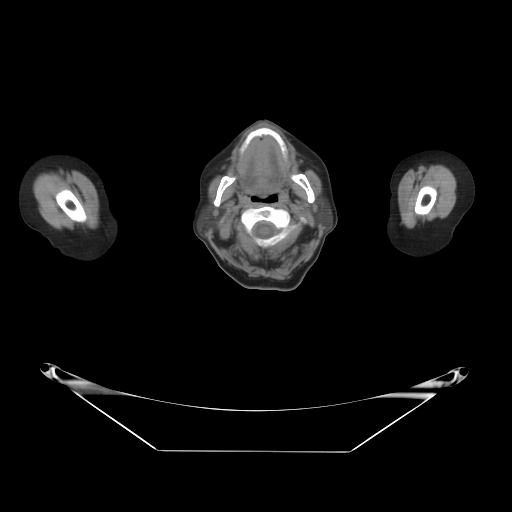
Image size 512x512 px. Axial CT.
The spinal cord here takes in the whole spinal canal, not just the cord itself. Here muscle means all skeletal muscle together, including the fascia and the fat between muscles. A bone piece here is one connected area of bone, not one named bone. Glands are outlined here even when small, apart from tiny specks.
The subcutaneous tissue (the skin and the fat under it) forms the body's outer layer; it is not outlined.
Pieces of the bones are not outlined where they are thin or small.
{"bones":[{"outer":[[265,205],[274,208],[282,208],[288,211],[290,214],[290,221],[289,224],[290,225],[299,224],[299,225],[297,227],[292,229],[283,239],[277,243],[264,248],[259,246],[246,232],[244,226],[241,222],[240,216],[242,212],[246,209],[249,208],[258,208]],"hole":[[259,221],[266,221],[267,222],[270,222],[271,223],[272,223],[277,229],[277,232],[275,234],[274,234],[269,237],[267,237],[266,238],[262,238],[261,237],[259,237],[258,236],[256,236],[253,233],[253,227],[255,225],[255,224],[257,222],[258,222]]},[[62,189],[69,189],[74,194],[74,195],[80,202],[86,214],[86,220],[85,221],[83,222],[77,222],[76,221],[74,221],[72,219],[71,219],[59,206],[59,205],[56,201],[56,199],[55,198],[55,195]],[[424,185],[429,185],[435,188],[437,191],[437,194],[436,195],[436,199],[435,200],[435,202],[432,206],[429,212],[424,215],[420,215],[419,214],[417,214],[414,211],[414,207],[415,206],[415,202],[416,201],[416,198],[417,197],[418,192],[420,188]],[[261,127],[267,127],[278,133],[283,140],[287,150],[287,157],[286,159],[283,158],[280,150],[280,147],[277,141],[272,136],[267,134],[261,136],[255,136],[253,137],[249,142],[243,153],[242,154],[240,153],[240,147],[245,140],[247,135],[251,131]],[[296,173],[303,173],[306,176],[306,177],[314,192],[314,195],[315,196],[315,199],[312,203],[310,203],[309,202],[308,202],[308,201],[307,200],[307,195],[306,194],[305,191],[297,183],[296,183],[291,179],[290,176],[292,174],[295,174]],[[224,175],[228,175],[229,176],[234,176],[235,177],[235,180],[224,190],[221,196],[221,201],[220,202],[220,204],[219,206],[217,207],[213,204],[213,201],[215,198],[215,196],[216,195],[216,192],[217,191],[217,188],[220,182],[220,180],[221,178]]],"right_arm":[[[54,152],[67,153],[77,156],[87,162],[97,172],[104,184],[110,208],[118,220],[119,231],[115,241],[107,253],[95,261],[85,263],[64,257],[52,248],[50,244],[39,233],[28,227],[20,215],[17,203],[17,189],[22,172],[26,166],[37,157]]],"muscle":[{"outer":[[259,123],[270,124],[281,131],[294,147],[311,161],[315,171],[322,181],[323,186],[323,193],[320,193],[315,200],[314,220],[324,231],[316,249],[309,260],[298,268],[293,276],[287,280],[276,280],[263,277],[248,277],[241,271],[228,265],[225,261],[222,260],[204,236],[217,221],[217,218],[214,214],[213,205],[208,201],[207,198],[207,187],[214,174],[214,170],[231,154],[233,148],[241,137]],"holes":[[[265,205],[274,208],[282,208],[288,211],[290,214],[290,221],[289,224],[290,225],[299,224],[299,225],[297,227],[292,229],[283,239],[277,243],[264,248],[259,246],[246,232],[244,226],[241,222],[240,216],[242,212],[246,209],[249,208],[258,208]],[[261,127],[267,127],[278,133],[283,140],[287,150],[287,157],[286,159],[283,158],[280,150],[280,147],[277,141],[272,136],[267,134],[261,136],[255,136],[253,137],[249,142],[243,153],[242,154],[240,153],[240,147],[245,140],[247,135],[251,131]],[[296,173],[303,173],[306,176],[306,177],[314,192],[314,195],[315,196],[315,199],[312,203],[310,203],[309,202],[308,202],[308,201],[307,200],[307,195],[306,194],[305,191],[297,183],[296,183],[291,179],[290,176],[292,174],[295,174]],[[224,175],[228,175],[229,176],[234,176],[235,177],[235,180],[224,190],[221,196],[221,201],[220,202],[220,204],[219,206],[217,207],[213,204],[213,201],[215,198],[215,196],[216,195],[216,192],[217,191],[217,188],[220,182],[220,180],[221,178]],[[273,195],[275,195],[276,196],[276,199],[275,200],[274,200],[273,201],[264,201],[263,200],[264,199],[265,199],[266,198],[267,198],[268,197],[269,197],[270,196],[272,196]]]},{"outer":[[51,168],[71,168],[72,169],[75,169],[86,175],[92,181],[97,190],[99,201],[100,202],[100,222],[101,224],[98,228],[86,233],[68,233],[55,229],[43,219],[37,209],[37,202],[32,191],[32,182],[35,176],[38,173],[43,171],[47,171]],"hole":[[62,189],[69,189],[74,194],[74,195],[80,202],[86,214],[86,220],[85,221],[83,222],[77,222],[76,221],[74,221],[72,219],[71,219],[59,206],[59,205],[56,201],[56,199],[55,198],[55,195]]},{"outer":[[428,160],[442,160],[444,161],[445,165],[449,167],[454,173],[457,181],[456,203],[449,215],[445,219],[423,229],[419,230],[406,230],[402,227],[400,223],[400,217],[399,216],[399,211],[397,204],[397,185],[402,175],[411,165],[419,161],[427,161]],"hole":[[424,185],[429,185],[435,188],[437,191],[437,194],[436,195],[436,199],[435,200],[435,202],[432,206],[429,212],[424,215],[420,215],[419,214],[417,214],[414,211],[414,207],[415,206],[415,202],[416,201],[416,198],[417,197],[418,192],[420,188]]}],"spinal_cord":[[[259,221],[266,221],[267,222],[270,222],[271,223],[272,223],[277,229],[277,232],[275,234],[274,234],[269,237],[267,237],[266,238],[262,238],[261,237],[259,237],[258,236],[256,236],[253,233],[253,227],[255,225],[255,224],[257,222],[258,222]]],"left_arm":[[[427,149],[443,149],[460,157],[467,164],[472,173],[475,183],[475,197],[472,206],[456,227],[451,241],[443,249],[435,254],[426,257],[414,257],[398,250],[390,243],[386,236],[385,224],[388,217],[388,206],[390,198],[389,181],[394,168],[403,158]]],"head_and_neck":[{"outer":[[260,118],[269,119],[294,134],[321,157],[329,173],[338,214],[337,224],[326,236],[317,260],[307,272],[301,283],[295,289],[289,291],[250,289],[241,286],[220,269],[204,244],[196,237],[192,229],[194,210],[199,199],[199,177],[203,167],[239,132]],"hole":[[273,195],[275,195],[276,196],[276,199],[275,200],[274,200],[273,201],[264,201],[263,200],[264,199],[265,199],[266,198],[267,198],[268,197],[269,197],[270,196],[272,196]]}],"parotid_glands":[[[320,194],[323,194],[325,197],[327,198],[327,200],[329,202],[329,205],[331,208],[331,211],[332,212],[332,222],[331,223],[331,225],[330,225],[329,227],[326,229],[323,229],[315,220],[315,213],[316,212],[315,204],[316,203],[316,200]],[[208,202],[211,203],[212,205],[212,208],[213,209],[213,214],[216,218],[216,221],[214,225],[207,230],[205,235],[203,236],[201,236],[199,235],[196,229],[197,227],[197,220],[198,219],[198,216],[200,213],[200,211],[206,204],[206,203]]]}